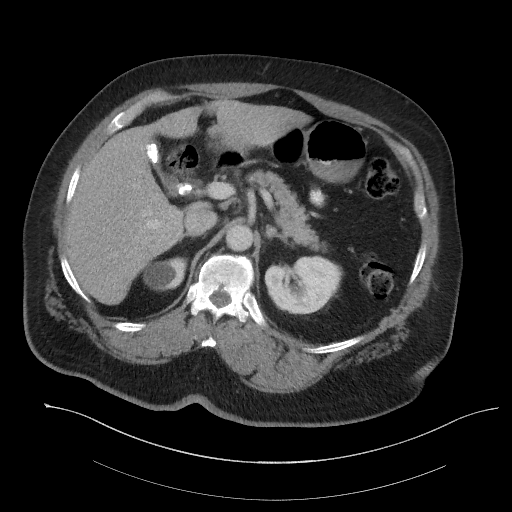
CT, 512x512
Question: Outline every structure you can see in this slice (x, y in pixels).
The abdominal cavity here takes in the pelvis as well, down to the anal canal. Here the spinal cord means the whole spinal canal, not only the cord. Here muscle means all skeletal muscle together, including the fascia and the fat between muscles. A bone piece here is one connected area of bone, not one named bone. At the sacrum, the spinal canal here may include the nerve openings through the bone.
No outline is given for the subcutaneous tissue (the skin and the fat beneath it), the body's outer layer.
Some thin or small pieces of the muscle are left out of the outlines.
Answer: bones 1: [[214,253],[244,255],[251,260],[254,272],[250,289],[267,323],[266,326],[263,327],[257,324],[249,315],[244,322],[228,314],[224,314],[214,321],[213,315],[207,310],[200,310],[194,315],[191,313],[189,304],[183,306],[188,288],[197,279],[200,266]]; inner edge: [[218,290],[219,290],[220,291],[223,291],[224,292],[226,292],[229,295],[229,296],[230,297],[230,301],[227,304],[226,304],[223,306],[220,306],[219,307],[218,306],[215,305],[211,301],[211,300],[210,299],[210,296],[215,291],[217,291]]
bones 2: [[159,90],[165,91],[167,93],[167,97],[165,99],[163,100],[160,100],[148,106],[141,113],[136,116],[131,121],[130,121],[123,127],[116,130],[111,134],[109,134],[106,131],[106,128],[110,121],[119,112],[125,110],[129,106],[144,96]]
bones 3: [[399,144],[408,148],[418,167],[420,177],[423,184],[422,186],[422,192],[425,199],[425,205],[427,209],[427,213],[423,218],[419,218],[415,211],[414,193],[416,189],[416,180],[413,172],[413,169],[408,164],[406,160],[406,157],[400,153],[397,147]]
bones 4: [[362,334],[364,335],[364,337],[360,341],[353,345],[351,345],[346,348],[344,348],[337,351],[327,352],[326,353],[311,353],[303,349],[303,348],[305,348],[306,347],[317,347],[320,345],[326,345],[333,342],[342,341]]
bones 5: [[63,255],[67,258],[68,263],[77,283],[79,285],[82,291],[87,296],[87,297],[89,298],[91,302],[86,301],[76,292],[75,292],[69,285],[66,279],[64,277],[64,275],[61,268],[61,264],[60,263],[61,256]]
bones 6: [[422,243],[424,243],[426,246],[426,253],[425,254],[424,261],[422,264],[422,266],[418,274],[414,279],[413,282],[409,285],[408,284],[408,281],[413,269],[413,266],[414,265],[414,262],[416,258],[416,255],[417,254],[418,249],[420,245]]
bones 7: [[78,165],[80,166],[80,173],[79,174],[79,178],[77,181],[77,183],[75,187],[75,190],[73,193],[73,195],[71,198],[71,200],[69,202],[69,203],[67,203],[66,202],[66,195],[67,194],[68,185],[69,184],[71,176],[75,168]]
bones 8: [[115,322],[134,322],[135,323],[137,323],[138,322],[142,322],[143,323],[145,323],[145,326],[142,329],[141,329],[138,331],[134,331],[133,332],[132,331],[123,331],[122,330],[120,330],[119,329],[118,329],[117,328],[116,328],[114,326],[114,323]]
bones 9: [[209,336],[212,336],[212,337],[215,340],[215,345],[213,347],[211,347],[210,346],[205,346],[204,347],[202,347],[201,346],[201,342],[203,340],[204,340],[206,338],[207,338]]
torso: [[206,53],[272,55],[359,71],[414,100],[444,135],[454,167],[463,271],[448,350],[410,403],[345,425],[251,426],[221,418],[199,403],[174,411],[146,409],[84,378],[46,366],[30,350],[22,315],[22,229],[46,154],[78,111],[116,76],[149,61]]
muscle: [[207,82],[271,83],[289,86],[310,92],[325,99],[351,106],[381,120],[399,132],[417,148],[427,165],[438,196],[439,201],[439,210],[438,211],[439,248],[437,253],[436,262],[433,266],[431,285],[428,294],[424,300],[424,306],[412,328],[409,330],[409,334],[406,341],[403,343],[402,347],[399,350],[394,351],[390,354],[380,358],[375,358],[370,361],[363,361],[357,365],[350,364],[344,368],[337,369],[332,368],[317,382],[305,389],[289,393],[270,393],[263,392],[246,385],[240,379],[240,376],[234,372],[221,359],[220,356],[213,348],[205,348],[205,347],[213,348],[216,345],[216,340],[212,335],[209,335],[200,342],[201,347],[200,348],[174,356],[168,362],[160,364],[137,364],[123,361],[113,357],[100,349],[92,342],[85,333],[68,328],[56,322],[50,316],[45,307],[44,295],[46,284],[47,258],[50,245],[50,238],[52,233],[53,205],[56,200],[63,174],[67,167],[68,162],[73,154],[89,132],[106,115],[116,106],[137,93],[153,87],[164,87],[180,84],[206,83]]; inner edges: [[274,89],[291,91],[327,116],[378,134],[405,168],[415,190],[413,169],[397,146],[408,148],[417,164],[427,209],[426,215],[419,219],[419,244],[426,246],[424,261],[413,282],[405,285],[395,304],[363,333],[364,337],[337,351],[311,353],[303,348],[319,344],[298,339],[279,328],[259,302],[267,323],[263,327],[249,315],[244,322],[228,314],[214,321],[207,310],[194,315],[189,304],[183,306],[187,289],[169,309],[143,318],[104,315],[93,303],[75,292],[64,277],[60,263],[61,256],[67,256],[68,185],[75,168],[79,165],[81,172],[110,135],[106,131],[110,121],[144,96],[159,90],[165,91],[167,97],[153,103],[152,106],[158,106],[191,96],[239,98]], then [[115,322],[134,322],[135,323],[137,323],[138,322],[142,322],[143,323],[145,323],[145,326],[142,329],[141,329],[138,331],[134,331],[133,332],[132,331],[123,331],[122,330],[120,330],[119,329],[118,329],[117,328],[116,328],[114,326],[114,323]]
abdominal cavity: [[274,89],[291,91],[327,116],[375,132],[411,178],[421,233],[395,304],[361,334],[314,344],[279,328],[267,315],[252,292],[255,271],[249,257],[214,252],[169,309],[143,318],[100,313],[78,283],[66,249],[68,210],[88,160],[110,135],[151,106]]
spinal cord: [[218,290],[219,290],[220,291],[223,291],[224,292],[226,292],[229,295],[229,296],[230,297],[230,301],[227,304],[226,304],[223,306],[220,306],[219,307],[218,306],[215,305],[211,301],[211,300],[210,299],[210,296],[215,291],[217,291]]